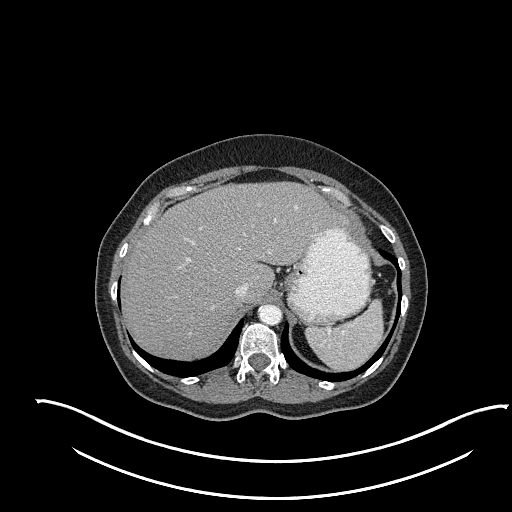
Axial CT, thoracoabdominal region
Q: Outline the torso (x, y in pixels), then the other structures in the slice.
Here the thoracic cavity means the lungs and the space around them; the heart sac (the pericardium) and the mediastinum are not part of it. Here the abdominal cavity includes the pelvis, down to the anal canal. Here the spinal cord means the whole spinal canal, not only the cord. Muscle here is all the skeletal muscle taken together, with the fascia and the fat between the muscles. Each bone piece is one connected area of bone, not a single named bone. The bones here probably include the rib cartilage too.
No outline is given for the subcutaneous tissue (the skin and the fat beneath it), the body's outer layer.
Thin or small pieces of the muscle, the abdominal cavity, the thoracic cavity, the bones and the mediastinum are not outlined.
A: Outlines (x, y in pixels):
torso: 214,421 256,412 303,419 370,404 395,383 419,335 427,304 427,270 402,207 389,188 369,171 311,140 271,133 244,134 180,155 155,169 139,184 100,242 94,284 95,309 102,337 121,375 134,391 154,403
thoracic cavity 1: 179,377 198,375 212,369 221,367 231,362 238,345 238,339 241,333 243,319 238,322 226,341 217,351 207,358 204,358 195,362 180,362 173,360 165,360 152,356 142,350 128,335 132,346 153,367 164,373
thoracic cavity 2: 330,381 345,380 362,373 383,353 391,338 399,317 402,293 401,271 393,254 384,250 380,253 397,270 395,317 380,348 360,368 334,374 308,366 291,349 288,325 286,323 284,326 279,343 290,367 308,376
spinal cord: 256,370 260,370 261,369 262,369 264,367 265,367 269,363 269,362 270,361 270,360 264,354 262,354 261,353 260,354 254,354 253,355 252,355 249,358 249,359 248,360 249,361 249,363
bones 1: 273,384 278,382 279,368 285,369 289,366 279,349 278,338 272,329 261,323 255,322 246,325 242,330 239,339 239,345 232,361 232,367 237,369 236,380 240,383 242,382 247,373 250,373 257,379 266,374 with a hole at 256,370 260,370 261,369 262,369 264,367 265,367 269,363 269,362 270,361 270,360 264,354 262,354 261,353 260,354 254,354 253,355 252,355 249,358 249,359 248,360 249,361 249,363
bones 2: 167,198 169,198 170,197 173,197 174,196 178,196 180,197 188,193 192,193 193,192 195,192 199,190 199,189 196,186 194,185 187,185 186,186 176,186 175,187 173,187 169,189 165,193 165,196
bones 3: 345,206 348,206 351,204 351,201 348,196 347,196 341,191 340,191 333,187 329,187 328,186 320,186 320,188 322,191 323,191 324,192 333,196 336,199 337,199 339,201 340,201 343,204 343,205 344,205
bones 4: 144,225 147,225 149,224 151,220 154,217 155,217 158,211 159,206 160,205 160,201 158,200 154,202 154,203 148,209 147,211 147,213 143,219 143,224
bones 5: 390,243 393,243 395,241 395,236 394,235 394,234 393,233 392,230 389,227 388,227 386,225 384,225 383,224 380,224 379,225 379,228 380,229 381,232 383,234 383,235 386,238 386,239
bones 6: 152,372 154,372 156,370 154,368 153,368 145,360 144,360 136,352 136,351 133,348 132,348 132,353 134,355 134,356 138,360 138,361 140,363 141,363 147,369 148,369 150,371 151,371
bones 7: 361,377 364,377 365,376 366,376 367,375 368,375 370,373 371,373 380,364 380,363 382,361 382,360 383,359 383,354 375,362 374,362 361,375
bones 8: 400,317 402,317 405,314 405,312 406,311 406,310 407,309 407,308 408,307 408,299 407,298 407,297 406,296 406,295 404,293 403,293 402,294 402,295 401,296 401,303 400,304 401,305 400,306
bones 9: 115,303 116,303 116,298 117,297 117,285 118,284 118,281 117,280 115,280 112,283 112,285 111,286 111,288 110,289 110,297 111,298 111,299
mediastinum 1: 279,340 283,326 285,323 285,317 282,312 275,304 273,304 270,302 268,302 265,304 261,304 259,306 257,306 254,308 254,309 244,318 244,325 243,327 246,324 255,321 261,322 272,328 276,332 279,338
mediastinum 2: 391,253 393,253 392,252 391,247 389,243 382,235 379,229 378,229 372,223 371,223 369,221 369,220 368,220 364,216 359,213 359,215 362,221 362,223 365,227 370,237 371,241 379,250 380,249 384,249
abdominal cavity: 334,373 356,369 375,353 391,326 397,303 396,270 370,241 357,211 291,175 260,170 170,202 130,244 119,278 119,308 127,333 148,353 180,361 207,357 221,346 240,319 270,301 286,317 294,352 308,365
muscle 1: 289,404 315,402 329,398 351,390 378,374 391,361 398,349 408,308 406,314 398,320 392,338 384,352 383,361 371,374 364,378 361,378 359,375 349,380 336,382 336,386 332,390 325,390 317,385 319,380 300,374 289,367 285,370 280,368 280,379 276,385 271,384 266,375 257,380 250,374 247,374 246,379 240,384 235,380 236,369 231,367 231,363 199,375 200,380 191,385 183,384 178,377 170,376 157,370 152,373 140,364 131,353 132,347 121,320 119,309 110,298 117,336 123,352 153,381 187,398 201,402 237,403 253,397 260,397 278,403
muscle 2: 409,307 411,299 410,265 394,227 379,212 341,182 326,174 296,166 236,165 212,170 165,187 145,206 131,229 119,243 113,256 107,285 109,297 111,283 118,279 121,269 123,258 118,256 119,249 125,241 129,245 144,227 142,219 147,209 158,199 161,201 159,211 167,203 178,197 167,199 164,193 169,188 176,185 194,184 202,189 242,173 272,169 298,177 319,190 320,185 333,186 341,190 350,197 352,209 360,212 378,228 378,225 383,223 393,230 396,236 396,241 390,244 393,252 396,256 402,256 406,263 406,268 402,272 402,289 409,299